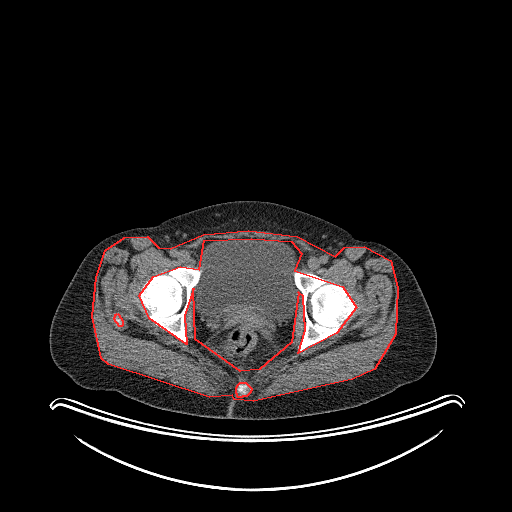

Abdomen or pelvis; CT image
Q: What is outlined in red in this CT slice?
A: red: muscle.
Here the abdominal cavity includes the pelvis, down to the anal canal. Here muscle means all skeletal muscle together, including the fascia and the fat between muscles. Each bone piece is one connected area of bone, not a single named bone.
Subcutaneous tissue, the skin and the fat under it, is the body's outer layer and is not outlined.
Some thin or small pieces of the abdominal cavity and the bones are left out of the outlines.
Outlines (x, y in pixels):
muscle: (248, 230) (297, 236) (335, 256) (344, 247) (364, 246) (390, 260) (397, 287) (395, 334) (374, 369) (352, 379) (253, 401) (234, 399) (232, 395) (209, 397) (108, 364) (101, 358) (92, 316) (96, 277) (105, 250) (124, 237) (147, 236) (158, 247) (170, 248) (203, 234), around holes outlined by (251, 238) (291, 241) (301, 253) (294, 270) (342, 286) (356, 307) (336, 333) (298, 353) (305, 330) (303, 296) (298, 292) (291, 342) (259, 369) (240, 371) (195, 339) (193, 288) (184, 315) (186, 344) (149, 318) (139, 295) (153, 276) (180, 266) (199, 269) (204, 240) and by (240, 382) (245, 382) (251, 388) (251, 390) (250, 391) (250, 392) (246, 396) (242, 396) (241, 397) (238, 397) (237, 396) (237, 394) (236, 393) (236, 387) (237, 386) (237, 385) and by (117, 313) (119, 315) (119, 316) (121, 318) (121, 319) (122, 320) (122, 325) (121, 326) (119, 326) (118, 325) (118, 324) (115, 321) (115, 320) (114, 319) (114, 317) (115, 316) (115, 314) (116, 314)
bones 1: (295, 271) (310, 272) (325, 279) (327, 282) (330, 283) (331, 282) (342, 286) (351, 295) (356, 304) (356, 307) (353, 312) (343, 322) (342, 326) (336, 333) (309, 345) (299, 353) (297, 352) (297, 346) (304, 334) (305, 316) (302, 304) (303, 296) (294, 282) (293, 273)
bones 2: (180, 266) (196, 267) (202, 270) (198, 282) (191, 290) (190, 301) (184, 315) (184, 327) (186, 336) (188, 339) (188, 342) (186, 344) (177, 337) (156, 325) (149, 318) (149, 313) (142, 304) (139, 297) (141, 288) (148, 279) (156, 275) (166, 274) (170, 270)
bones 3: (240, 382) (245, 382) (251, 388) (251, 390) (250, 391) (250, 392) (246, 396) (242, 396) (241, 397) (238, 397) (237, 396) (237, 394) (236, 393) (236, 387) (237, 386) (237, 385)
abdominal cavity: (251, 238) (289, 240) (297, 245) (301, 258) (292, 276) (300, 292) (297, 293) (298, 302) (291, 342) (279, 349) (259, 369) (240, 371) (218, 360) (203, 349) (195, 339) (193, 288) (199, 282) (203, 271) (200, 267) (201, 260) (198, 251) (204, 240)
torso: (237, 200) (274, 202) (307, 212) (357, 239) (378, 242) (401, 257) (413, 272) (436, 327) (437, 348) (429, 370) (418, 380) (355, 407) (269, 420) (211, 418) (159, 409) (117, 391) (84, 388) (60, 370) (49, 350) (51, 320) (92, 247) (124, 230) (154, 226) (198, 208)